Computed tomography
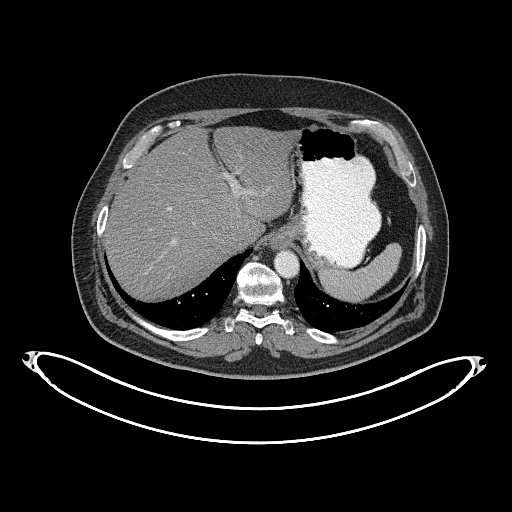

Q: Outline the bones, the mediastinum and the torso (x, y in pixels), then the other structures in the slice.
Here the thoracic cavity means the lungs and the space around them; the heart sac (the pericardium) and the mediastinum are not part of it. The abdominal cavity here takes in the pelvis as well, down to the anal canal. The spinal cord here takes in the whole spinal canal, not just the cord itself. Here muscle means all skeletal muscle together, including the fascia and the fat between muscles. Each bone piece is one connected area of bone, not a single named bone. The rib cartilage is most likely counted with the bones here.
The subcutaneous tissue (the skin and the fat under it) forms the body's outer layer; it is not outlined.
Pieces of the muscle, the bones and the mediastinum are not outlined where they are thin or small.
A: {"bones":[{"outer":[[287,334],[292,334],[294,328],[289,319],[280,315],[277,306],[286,303],[279,277],[265,264],[255,261],[244,263],[237,273],[236,294],[231,301],[233,305],[241,305],[234,317],[225,318],[224,329],[231,332],[238,321],[249,322],[257,328],[276,323]],"hole":[[259,317],[260,317],[261,316],[263,316],[264,315],[265,315],[268,312],[268,310],[267,309],[267,307],[266,307],[264,305],[262,305],[261,304],[253,304],[251,306],[251,309],[252,310],[252,312],[254,315],[255,315],[256,316],[258,316]]},[[410,187],[416,186],[415,172],[412,164],[405,158],[404,154],[398,144],[397,139],[392,131],[387,126],[378,121],[370,119],[352,119],[350,120],[347,125],[344,127],[347,129],[352,131],[367,131],[379,139],[385,140],[391,146],[401,175]],[[173,341],[188,340],[199,337],[206,333],[209,330],[209,328],[207,326],[204,325],[201,327],[197,327],[189,330],[173,330],[155,325],[145,320],[140,316],[133,313],[130,310],[126,309],[126,311],[128,314],[140,325],[158,335],[160,335]],[[124,169],[131,168],[134,165],[136,160],[146,149],[149,144],[164,129],[170,129],[173,127],[175,127],[179,125],[181,122],[179,120],[176,120],[175,121],[167,122],[164,125],[158,124],[150,128],[139,138],[133,147],[126,153],[122,160],[122,167]],[[413,278],[416,278],[418,276],[421,270],[421,267],[423,264],[424,256],[425,255],[425,243],[426,242],[426,235],[425,234],[424,226],[421,223],[418,225],[418,227],[416,231],[416,247],[415,248],[415,268],[414,269],[414,274],[413,275]],[[324,343],[337,343],[339,341],[339,340],[338,338],[335,335],[333,334],[331,334],[330,333],[326,333],[325,332],[323,332],[313,327],[310,327],[309,326],[307,326],[305,327],[305,331],[312,338],[313,338],[317,341],[319,341],[320,342],[323,342]],[[99,237],[101,237],[102,236],[102,234],[105,229],[105,223],[106,222],[106,220],[107,219],[107,212],[108,211],[108,205],[107,204],[105,204],[101,208],[101,209],[99,212],[98,217],[97,218],[97,222],[96,223],[96,229],[97,230],[97,235]]],"mediastinum":[[[294,299],[292,292],[293,288],[298,280],[299,264],[301,259],[292,247],[285,240],[281,238],[269,238],[260,244],[258,244],[254,248],[250,248],[251,252],[245,258],[244,262],[249,260],[255,260],[265,263],[278,274],[282,281],[283,286],[290,291]]],"torso":[[[234,379],[285,379],[349,367],[418,337],[436,320],[449,265],[447,210],[433,165],[416,127],[388,98],[355,84],[313,76],[212,74],[178,82],[146,96],[125,114],[113,133],[80,195],[72,221],[72,268],[84,313],[100,336],[126,351],[166,366]]],"thoracic_cavity":[[[173,329],[189,329],[201,326],[219,313],[235,281],[236,273],[243,263],[244,258],[250,252],[250,249],[246,250],[242,254],[230,258],[195,288],[178,298],[159,304],[145,304],[128,296],[119,287],[105,258],[109,277],[123,299],[145,319],[155,324]],[[334,334],[361,327],[380,316],[397,301],[403,292],[406,284],[395,293],[392,294],[391,296],[379,302],[356,306],[350,304],[344,304],[318,290],[311,281],[309,273],[303,262],[301,261],[299,280],[293,292],[298,312],[310,326],[313,326],[323,331]]],"muscle":[{"outer":[[215,361],[235,361],[239,360],[247,355],[251,351],[252,348],[257,345],[254,342],[254,336],[257,331],[259,331],[263,336],[262,343],[259,346],[263,347],[268,353],[276,358],[281,359],[316,358],[317,357],[324,357],[334,355],[338,353],[351,350],[354,348],[357,348],[381,336],[397,325],[403,322],[410,321],[421,316],[425,308],[425,299],[424,298],[425,294],[425,277],[429,264],[430,252],[433,241],[433,224],[429,215],[427,194],[418,171],[418,167],[416,165],[414,161],[414,158],[402,136],[398,130],[391,123],[373,116],[366,116],[362,114],[357,114],[333,109],[318,108],[317,107],[302,107],[301,106],[279,107],[278,106],[269,106],[268,107],[230,107],[229,108],[202,109],[201,110],[194,110],[193,111],[177,113],[169,116],[165,116],[155,119],[143,127],[125,145],[118,156],[117,161],[106,184],[104,192],[92,214],[92,217],[89,221],[89,234],[91,238],[91,274],[94,284],[96,303],[100,312],[106,319],[121,327],[126,328],[155,343],[176,350],[181,353],[195,357],[210,359]],"hole":[[324,343],[337,343],[336,333],[361,327],[387,311],[403,292],[413,261],[413,278],[423,264],[426,235],[424,226],[416,222],[409,188],[416,186],[415,172],[392,131],[370,119],[352,119],[345,131],[280,111],[258,111],[179,130],[157,141],[136,164],[164,129],[181,123],[176,120],[150,128],[123,158],[122,167],[132,169],[110,205],[101,208],[96,223],[97,235],[104,237],[109,277],[139,314],[128,309],[128,314],[165,338],[193,339],[209,330],[205,324],[219,313],[235,281],[236,294],[231,302],[241,305],[234,317],[225,318],[226,331],[245,321],[257,328],[276,323],[292,334],[292,322],[280,315],[277,306],[286,303],[284,286],[309,325],[305,331]]},[[396,165],[396,162],[395,161],[395,158],[393,155],[393,152],[392,151],[390,146],[385,141],[384,141],[383,140],[379,140],[381,142],[382,142],[385,145],[386,145],[387,146],[387,147],[391,152],[391,154],[394,159],[394,161],[395,162]]],"abdominal_cavity":[[[354,305],[379,301],[407,283],[417,227],[412,192],[386,146],[368,134],[329,128],[280,111],[246,113],[179,130],[160,139],[114,193],[103,234],[104,257],[120,287],[136,300],[159,303],[178,297],[233,255],[269,237],[281,237],[302,259],[318,289]]],"spinal_cord":[[[259,317],[260,317],[261,316],[263,316],[264,315],[265,315],[268,312],[268,310],[267,309],[267,307],[266,307],[264,305],[262,305],[261,304],[253,304],[251,306],[251,309],[252,310],[252,312],[254,315],[255,315],[256,316],[258,316]]]}